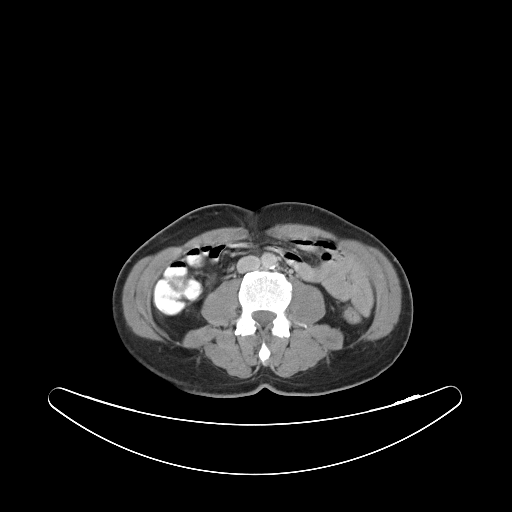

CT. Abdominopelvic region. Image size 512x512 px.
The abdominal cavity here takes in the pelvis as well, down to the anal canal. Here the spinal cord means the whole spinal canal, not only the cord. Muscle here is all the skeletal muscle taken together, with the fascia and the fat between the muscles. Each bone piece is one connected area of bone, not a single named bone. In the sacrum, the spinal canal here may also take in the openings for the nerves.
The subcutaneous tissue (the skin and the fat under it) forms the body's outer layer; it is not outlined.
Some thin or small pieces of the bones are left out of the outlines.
The muscle is outlined by [[289,222],[315,225],[342,237],[358,239],[377,247],[388,258],[397,273],[401,287],[399,319],[388,335],[375,341],[362,342],[353,348],[336,350],[328,361],[323,361],[298,376],[280,377],[264,367],[248,378],[237,378],[223,372],[204,357],[199,357],[198,352],[194,349],[171,347],[141,338],[127,326],[122,310],[122,289],[131,268],[140,258],[163,247],[180,244],[213,228],[242,226],[249,232],[263,232],[276,224]] with holes at [[259,236],[325,238],[354,252],[375,293],[369,326],[345,337],[340,327],[318,322],[326,314],[323,293],[293,279],[288,337],[258,330],[236,335],[241,282],[231,278],[203,299],[199,313],[206,324],[171,337],[154,320],[150,303],[166,265],[194,247]] and at [[262,341],[264,341],[265,342],[270,352],[269,357],[266,361],[266,364],[265,365],[263,365],[262,364],[259,358],[259,355],[258,354],[259,352],[259,350],[260,349],[260,347],[261,346],[261,343]]. The torso is outlined by [[277,201],[302,201],[324,207],[374,234],[398,259],[411,288],[413,321],[408,341],[393,364],[368,381],[322,395],[282,395],[262,388],[238,397],[184,392],[139,365],[120,342],[111,311],[114,283],[127,258],[156,232],[200,206],[232,203],[255,209]]. The bones appear in 2 outlined pieces: piece 1: [[255,270],[275,270],[283,273],[292,285],[291,299],[285,310],[285,314],[291,322],[288,337],[279,337],[273,335],[269,331],[263,335],[258,330],[254,335],[249,334],[242,336],[234,333],[235,320],[241,312],[241,306],[238,299],[240,283],[246,273]], around a hole outlined by [[259,310],[265,310],[266,311],[269,311],[270,312],[272,312],[275,314],[275,316],[271,322],[269,323],[265,323],[263,325],[263,326],[262,326],[259,323],[258,323],[253,318],[252,316],[252,314],[253,312],[255,311],[258,311]]; piece 2: [[262,341],[264,341],[265,342],[270,352],[269,357],[266,361],[266,364],[265,365],[263,365],[262,364],[259,358],[259,355],[258,354],[259,352],[259,350],[260,349],[260,347],[261,346],[261,343]]. The spinal cord is outlined by [[259,310],[265,310],[266,311],[269,311],[270,312],[272,312],[275,314],[275,316],[271,322],[269,323],[265,323],[263,325],[263,326],[262,326],[259,323],[258,323],[253,318],[252,316],[252,314],[253,312],[255,311],[258,311]]. The abdominal cavity is outlined by [[259,236],[325,238],[354,252],[375,293],[369,326],[345,337],[340,327],[318,322],[326,314],[318,287],[291,282],[275,269],[255,269],[240,281],[225,279],[205,296],[199,313],[206,324],[180,339],[171,337],[154,320],[150,303],[166,265],[194,247]].